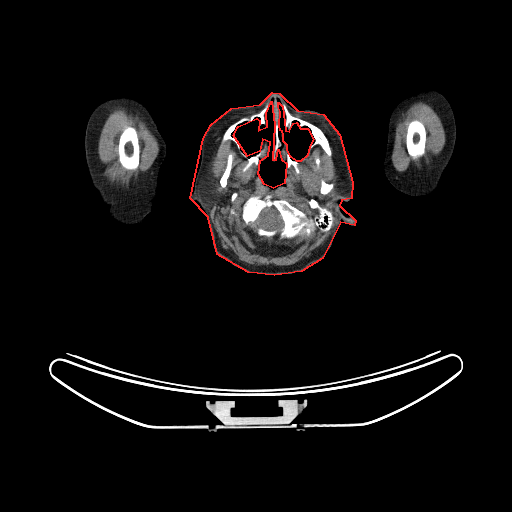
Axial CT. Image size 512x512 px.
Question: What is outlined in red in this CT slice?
Answer: red: head.
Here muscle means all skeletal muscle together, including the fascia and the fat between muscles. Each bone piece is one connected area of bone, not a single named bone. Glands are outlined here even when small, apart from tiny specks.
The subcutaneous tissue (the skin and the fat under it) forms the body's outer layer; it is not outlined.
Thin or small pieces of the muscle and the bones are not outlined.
head: 272,92 279,93 297,110 323,114 339,134 352,182 351,198 341,200 339,205 355,220 354,225 340,222 322,258 301,271 274,275 248,272 217,254 208,217 190,198 203,138 211,124 231,108 260,104; inner edges: 271,101 274,124 272,159 276,159 278,149 281,159 286,163 284,183 273,188 264,184 258,174 260,160 268,155 270,142 262,139 259,151 247,156 233,135 238,126 256,118 259,120 258,130 267,126 266,113, then 278,102 282,106 285,130 289,131 293,123 296,122 300,128 307,128 313,139 309,146 307,155 300,161 297,161 291,157 287,150 287,145 283,141 283,134 282,131 280,130 279,125 280,111 278,107
left arm: 421,88 435,89 442,93 448,100 453,110 455,118 456,139 451,158 447,166 443,171 439,183 435,190 429,195 412,196 399,191 389,182 384,172 384,158 387,143 388,121 392,108 402,96 411,91
brain: 270,207 274,207 277,210 282,220 283,225 281,229 280,229 279,231 278,231 276,229 265,229 259,226 257,223 257,219 260,213 262,211 262,210 263,210 265,208 269,208
muscle 1: 249,111 257,112 231,123 223,132 221,142 232,141 246,159 241,170 246,172 254,165 259,166 257,174 262,183 272,189 285,183 289,169 298,175 301,172 299,163 315,146 329,157 333,154 325,133 317,125 296,116 319,122 333,141 338,179 334,189 337,193 329,199 331,210 311,198 308,205 317,210 317,215 308,216 285,198 274,198 270,193 262,197 251,195 241,206 241,219 259,237 290,240 297,236 310,236 317,228 321,232 330,230 324,242 309,256 291,265 256,265 239,260 222,247 211,216 211,209 220,194 219,183 210,173 213,137 230,117, around holes outlined by 229,154 232,154 232,161 231,162 231,170 230,171 229,176 227,179 227,183 226,185 224,187 222,187 219,181 220,180 220,178 222,176 226,168 226,165 227,164 227,159 228,158 228,155 and by 322,179 325,182 326,182 327,183 332,183 334,185 334,186 333,187 333,188 328,193 327,193 326,194 322,194 320,192 320,187 321,186 321,180 and by 315,157 318,157 319,158 319,167 318,168 317,168 317,167 316,166 316,165 315,164 315,161 314,160 314,159 315,158
muscle 2: 118,105 128,106 137,110 142,115 148,128 156,138 159,146 159,150 157,156 151,167 133,185 128,187 115,187 111,185 101,175 100,167 97,160 97,156 98,155 97,146 98,145 99,134 102,125 112,108, around a hole outlined by 126,126 131,126 132,127 134,127 136,130 137,136 138,137 138,144 139,145 139,163 137,168 135,170 128,170 127,169 125,169 121,165 119,161 119,155 118,154 118,145 119,144 119,138 121,133
muscle 3: 417,101 424,101 428,103 439,115 445,130 446,135 445,144 442,151 425,168 422,168 417,171 412,172 398,172 395,170 391,163 392,161 391,159 392,138 395,132 396,121 403,110 409,104 412,102 413,103, around a hole outlined by 412,120 418,120 420,121 424,125 424,127 426,131 424,153 423,155 422,155 420,157 416,159 413,159 409,155 407,151 407,148 406,147 406,135 407,134 407,128 408,127 408,124
parotid glands 1: 205,170 206,170 207,172 209,174 210,174 215,179 215,180 218,183 218,186 219,187 219,194 218,195 218,197 216,201 210,208 206,208 203,206 201,202 201,200 197,192 197,187 198,186 199,181
parotid glands 2: 340,177 341,177 342,178 342,179 344,181 344,182 346,184 346,185 347,186 347,188 348,189 348,190 345,193 343,193 342,194 339,194 335,190 335,189 336,188 336,187 337,186 337,181 339,179 339,178
bones 1: 267,194 274,199 285,199 312,218 318,215 318,210 309,205 309,201 314,199 322,207 331,211 333,224 327,231 321,231 317,227 310,235 297,235 290,239 259,236 242,219 242,206 251,196 258,195 262,198 with a hole at 270,207 274,207 277,210 282,220 283,225 281,229 280,229 279,231 278,231 276,229 265,229 259,226 257,223 257,219 260,213 262,211 262,210 263,210 265,208 269,208
bones 2: 267,104 267,125 258,129 260,120 256,117 250,122 241,123 232,133 240,150 247,157 260,151 262,140 269,142 267,155 259,160 259,165 254,164 243,171 247,159 232,140 222,142 223,134 231,124 259,112
bones 3: 126,126 131,126 132,127 134,127 136,130 137,136 138,137 138,144 139,145 139,163 137,168 135,170 128,170 127,169 125,169 121,165 119,161 119,155 118,154 118,145 119,144 119,138 121,133
bones 4: 283,104 292,115 317,126 324,133 331,149 331,156 329,156 319,145 315,145 309,151 314,139 312,137 310,130 307,127 300,127 299,124 296,121 294,121 290,129 286,130 284,121 285,114 282,105
bones 5: 412,120 418,120 420,121 424,125 424,127 426,131 424,153 423,155 422,155 420,157 416,159 413,159 409,155 407,151 407,148 406,147 406,135 407,134 407,128 408,127 408,124
bones 6: 274,104 277,104 279,111 278,125 282,134 282,141 285,143 286,150 290,157 299,162 298,168 300,172 298,174 295,173 292,167 286,171 286,160 282,159 278,148 276,150 275,159 273,159 273,149 275,145
bones 7: 229,154 232,154 232,161 231,162 231,170 230,171 229,176 227,179 227,183 226,185 224,187 222,187 219,181 220,180 220,178 222,176 226,168 226,165 227,164 227,159 228,158 228,155
bones 8: 322,179 325,182 326,182 327,183 332,183 334,185 334,186 333,187 333,188 328,193 327,193 326,194 322,194 320,192 320,187 321,186 321,180
right arm: 118,96 129,96 141,101 151,113 166,144 166,154 159,168 157,194 153,200 153,208 147,215 145,224 140,227 118,222 109,216 108,207 102,203 98,192 92,184 85,159 85,130 92,111 101,102 109,98